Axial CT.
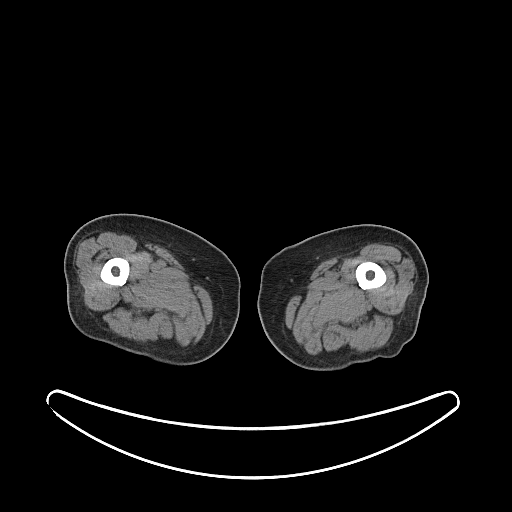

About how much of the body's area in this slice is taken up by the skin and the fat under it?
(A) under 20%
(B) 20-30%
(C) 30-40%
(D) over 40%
(D) over 40%
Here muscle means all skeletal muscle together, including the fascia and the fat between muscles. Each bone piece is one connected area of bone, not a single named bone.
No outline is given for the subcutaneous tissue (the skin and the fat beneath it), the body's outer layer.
{"right_leg":[[[112,213],[141,214],[174,223],[205,238],[221,249],[232,261],[237,269],[241,284],[239,316],[235,328],[227,342],[211,357],[199,363],[186,366],[168,365],[86,337],[74,326],[68,313],[66,281],[64,276],[63,263],[67,243],[80,226],[96,217]]],"left_leg":[[[354,224],[379,224],[397,229],[409,236],[419,247],[427,265],[429,282],[417,330],[393,358],[380,357],[370,362],[353,364],[338,371],[315,371],[299,367],[286,359],[272,345],[263,330],[257,310],[257,295],[262,268],[272,255],[288,245],[328,230]]],"bones":[[[364,261],[372,261],[373,262],[375,262],[380,265],[384,270],[386,275],[386,279],[385,280],[385,282],[379,287],[372,288],[371,289],[367,289],[366,290],[365,289],[362,289],[359,286],[355,277],[355,270],[356,269],[356,267],[361,262],[363,262]],[[113,257],[122,257],[123,258],[125,258],[129,263],[129,274],[128,275],[128,277],[126,280],[126,282],[121,286],[116,286],[115,285],[111,285],[110,284],[108,284],[104,282],[100,277],[100,272],[101,271],[101,269],[104,263],[108,259],[112,258]]],"muscle":[{"outer":[[102,231],[127,234],[164,247],[175,257],[193,279],[208,290],[213,305],[213,319],[207,326],[203,337],[196,344],[176,348],[157,342],[137,342],[105,330],[92,320],[86,312],[81,286],[72,267],[72,260],[76,246],[82,238],[89,233]],"hole":[[113,257],[122,257],[123,258],[125,258],[129,263],[129,274],[128,275],[128,277],[126,280],[126,282],[121,286],[116,286],[115,285],[111,285],[110,284],[108,284],[104,282],[100,277],[100,272],[101,271],[101,269],[104,263],[108,259],[112,258]]},{"outer":[[374,242],[390,242],[402,247],[412,256],[416,266],[416,281],[401,314],[396,334],[388,345],[365,352],[353,352],[337,356],[314,356],[308,354],[297,344],[284,325],[285,308],[289,299],[298,292],[309,271],[320,262],[338,254],[358,250],[368,243]],"hole":[[364,261],[372,261],[373,262],[375,262],[380,265],[384,270],[386,275],[386,279],[385,280],[385,282],[379,287],[372,288],[371,289],[367,289],[366,290],[365,289],[362,289],[359,286],[355,277],[355,270],[356,269],[356,267],[361,262],[363,262]]}]}